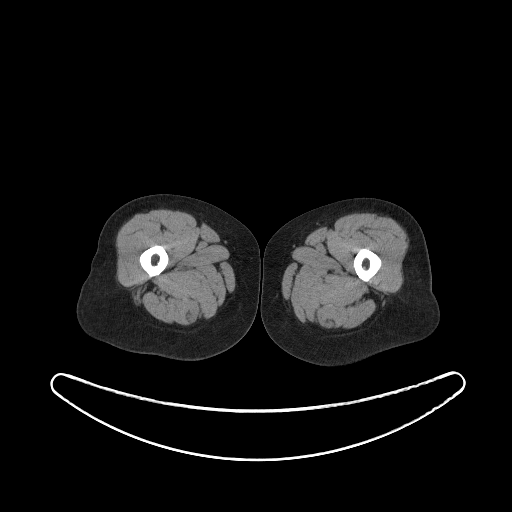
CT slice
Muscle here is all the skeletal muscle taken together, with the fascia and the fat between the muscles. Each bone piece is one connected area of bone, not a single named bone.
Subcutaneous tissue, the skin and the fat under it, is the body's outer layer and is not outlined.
The muscle appears in 2 outlined pieces: piece 1: 354,212 371,212 391,217 405,230 409,243 402,262 403,283 401,288 392,296 382,312 368,326 342,336 311,334 301,326 294,315 290,304 282,296 281,281 284,270 294,246 300,239 316,228 326,226 339,217 with a hole at 360,248 368,248 370,250 371,250 373,252 377,254 379,256 381,260 381,266 379,268 377,272 368,281 364,281 360,278 359,278 359,277 356,274 355,272 355,270 354,269 354,267 353,266 353,259 356,253; piece 2: 160,208 180,210 191,214 195,218 200,218 217,232 222,243 230,253 228,260 235,276 235,289 230,294 227,307 209,322 190,332 163,328 147,321 134,304 128,290 116,280 117,254 115,240 118,230 134,214 with a hole at 155,244 163,245 164,246 167,252 167,254 168,255 168,262 165,268 158,275 156,275 152,277 149,277 148,274 142,268 142,267 140,265 140,263 139,262 139,256 140,254 144,250 150,247 152,245 154,245. The right leg is outlined by 157,193 190,196 219,207 243,223 254,235 259,246 261,277 259,305 254,321 247,333 236,344 206,359 180,361 124,351 90,337 82,330 77,321 76,303 80,288 88,275 99,233 105,221 124,203 140,196. The left leg is outlined by 354,197 374,197 393,202 403,207 416,219 426,240 432,273 432,290 439,305 440,320 436,329 420,341 387,350 355,364 342,367 320,366 290,355 268,335 262,323 259,309 262,259 268,240 286,222 313,208. The bones appear in 2 outlined pieces: piece 1: 155,244 163,245 164,246 167,252 167,254 168,255 168,262 165,268 158,275 156,275 152,277 149,277 148,274 142,268 142,267 140,265 140,263 139,262 139,256 140,254 144,250 150,247 152,245 154,245; piece 2: 360,248 368,248 370,250 371,250 373,252 377,254 379,256 381,260 381,266 379,268 377,272 368,281 364,281 360,278 359,278 359,277 356,274 355,272 355,270 354,269 354,267 353,266 353,259 356,253.